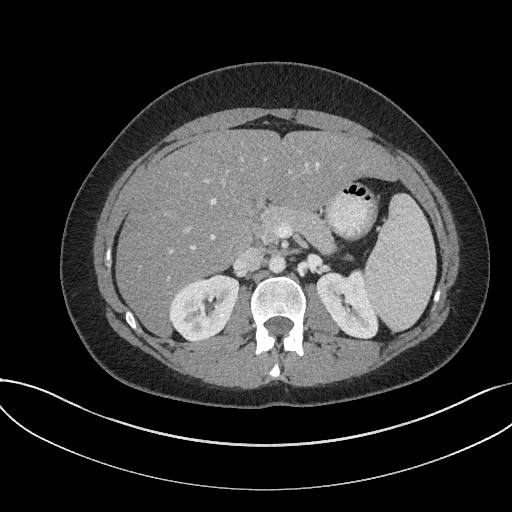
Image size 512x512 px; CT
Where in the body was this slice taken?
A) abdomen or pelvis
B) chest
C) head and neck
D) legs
Answer: A) abdomen or pelvis
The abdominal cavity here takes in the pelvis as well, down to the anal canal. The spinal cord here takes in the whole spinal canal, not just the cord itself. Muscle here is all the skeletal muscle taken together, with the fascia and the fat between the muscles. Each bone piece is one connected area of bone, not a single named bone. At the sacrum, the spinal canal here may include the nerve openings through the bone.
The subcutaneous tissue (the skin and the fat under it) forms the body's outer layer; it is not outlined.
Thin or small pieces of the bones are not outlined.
The bones appear in 2 outlined pieces: piece 1: 299,355 303,354 302,341 304,336 303,320 306,305 305,295 300,285 288,276 275,276 266,278 257,284 250,300 250,307 255,326 255,353 258,354 262,351 266,351 275,347 281,347 285,351 295,351; inner edge: 275,335 282,335 283,334 285,334 287,333 287,332 292,326 292,322 288,318 286,318 285,317 282,317 281,316 276,316 275,317 272,317 270,318 265,323 265,325 268,329 269,331 269,333 270,334 274,334; piece 2: 137,331 138,331 139,330 139,329 137,327 137,325 136,324 136,321 135,320 135,319 134,318 134,317 133,316 132,313 128,309 127,309 125,312 125,319 126,320 126,321 128,323 128,324 134,330 136,330. The spinal cord is outlined by 275,335 282,335 283,334 285,334 287,333 287,332 292,326 292,322 288,318 286,318 285,317 282,317 281,316 276,316 275,317 272,317 270,318 265,323 265,325 268,329 269,331 269,333 270,334 274,334. The torso is outlined by 239,409 328,405 417,382 462,347 487,296 490,252 486,227 476,198 454,163 387,96 356,78 318,65 280,60 237,63 171,87 138,112 100,155 76,192 63,229 62,294 72,324 92,358 134,389 188,403. The abdominal cavity is outlined by 191,342 223,333 241,285 252,292 259,281 275,275 288,275 304,292 305,286 313,283 342,336 383,341 424,319 441,273 437,235 383,144 267,115 195,134 146,168 134,186 132,205 114,238 114,286 146,332. The muscle is outlined by 240,389 279,381 292,386 318,386 360,376 429,337 447,317 449,291 459,267 458,236 448,203 416,159 353,120 301,108 238,107 212,112 174,129 134,160 115,181 104,202 92,250 109,324 128,342 182,374, around holes outlined by 299,355 308,283 346,337 391,339 418,325 432,302 434,309 441,258 431,219 373,138 271,115 195,134 142,173 106,250 125,319 134,330 137,322 172,342 203,341 223,333 244,284 252,292 255,353 281,347 and by 272,377 277,377 279,375 279,371 280,370 279,369 279,366 278,365 278,363 277,362 276,362 274,364 274,365 272,367 272,368 269,371 269,374.